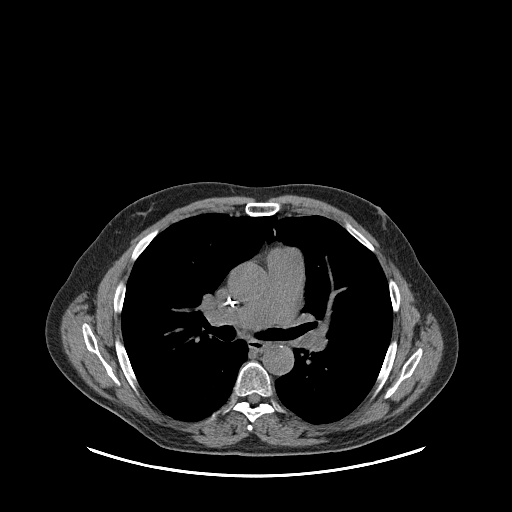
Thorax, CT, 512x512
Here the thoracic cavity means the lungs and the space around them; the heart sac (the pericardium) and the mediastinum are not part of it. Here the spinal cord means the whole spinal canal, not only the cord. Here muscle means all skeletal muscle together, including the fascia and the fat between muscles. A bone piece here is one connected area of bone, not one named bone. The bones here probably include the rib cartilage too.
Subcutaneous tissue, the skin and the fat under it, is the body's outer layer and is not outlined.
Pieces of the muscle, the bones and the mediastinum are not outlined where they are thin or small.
Outlines:
thoracic cavity: (213, 211) (323, 216) (375, 254) (391, 336) (373, 386) (347, 415) (314, 424) (276, 396) (274, 382) (294, 367) (306, 266) (298, 247) (275, 239) (211, 295) (213, 324) (231, 327) (231, 340) (247, 346) (227, 401) (185, 421) (140, 387) (121, 327) (133, 265) (160, 232) with a hole at (224, 329) (225, 329) (226, 329) (227, 329) (228, 329) (229, 329) (230, 329) (231, 330) (231, 331) (231, 332) (231, 333) (230, 334) (229, 335) (228, 335) (227, 335) (226, 335) (225, 335) (224, 334) (223, 333) (223, 332) (223, 331) (223, 330)
torso: (198, 181) (245, 186) (320, 184) (349, 191) (379, 206) (402, 231) (453, 313) (458, 333) (458, 356) (454, 371) (441, 391) (395, 433) (347, 450) (286, 456) (212, 455) (166, 449) (82, 393) (58, 369) (46, 346) (45, 321) (54, 296) (77, 259) (120, 210) (158, 190)
bones 1: (250, 361) (258, 362) (266, 370) (270, 377) (275, 396) (286, 411) (284, 413) (274, 411) (262, 414) (251, 424) (252, 430) (250, 431) (247, 428) (250, 422) (248, 418) (242, 412) (232, 409) (224, 414) (220, 413) (215, 419) (209, 422) (204, 422) (228, 401) (240, 368); inner edge: (253, 393) (256, 393) (257, 394) (258, 394) (260, 396) (260, 397) (261, 398) (260, 399) (260, 401) (258, 403) (257, 403) (256, 404) (251, 404) (247, 400) (247, 397) (250, 394) (252, 394)
bones 2: (393, 339) (396, 339) (397, 341) (397, 348) (395, 352) (395, 356) (393, 360) (393, 363) (392, 364) (391, 369) (381, 389) (371, 400) (370, 399) (371, 398) (372, 388) (374, 386) (374, 384) (376, 381) (378, 374) (381, 369) (389, 344) (391, 340)
bones 3: (117, 336) (119, 337) (120, 340) (123, 343) (123, 345) (125, 348) (125, 351) (127, 354) (130, 365) (139, 385) (139, 387) (138, 388) (139, 395) (137, 395) (134, 390) (131, 387) (120, 366) (120, 364) (117, 357) (116, 350) (115, 349) (115, 339)
bones 4: (83, 323) (86, 323) (89, 325) (96, 339) (98, 346) (98, 350) (105, 361) (111, 367) (113, 373) (116, 376) (120, 383) (119, 385) (117, 385) (108, 375) (105, 367) (97, 355) (95, 353) (88, 350) (85, 344) (83, 337) (83, 333) (82, 332) (82, 325)
bones 5: (418, 348) (421, 348) (422, 349) (422, 354) (412, 374) (410, 376) (405, 378) (399, 384) (396, 390) (388, 398) (384, 398) (384, 396) (387, 390) (397, 380) (397, 379) (399, 377) (400, 375) (400, 373) (401, 372) (401, 369) (404, 363) (407, 360) (407, 359)
bones 6: (252, 201) (269, 201) (270, 202) (278, 202) (281, 205) (281, 208) (280, 209) (280, 210) (278, 212) (277, 212) (272, 215) (263, 215) (262, 216) (251, 216) (250, 215) (248, 215) (247, 214) (246, 214) (244, 212) (244, 207) (247, 202) (251, 202)
bones 7: (155, 229) (158, 229) (159, 230) (159, 232) (151, 240) (151, 241) (146, 246) (146, 247) (143, 250) (143, 251) (138, 256) (138, 257) (134, 261) (134, 262) (131, 261) (131, 254) (132, 253) (132, 252) (133, 251) (136, 244) (144, 236) (145, 236) (148, 233) (151, 232)
bones 8: (120, 281) (123, 281) (125, 283) (125, 292) (124, 293) (124, 297) (123, 298) (123, 303) (122, 304) (122, 309) (121, 310) (121, 312) (120, 313) (115, 313) (114, 312) (114, 307) (113, 306) (113, 300) (114, 299) (114, 295) (115, 294) (115, 291) (116, 290) (116, 287)
bones 9: (345, 221) (348, 221) (358, 231) (359, 231) (371, 243) (371, 244) (374, 247) (374, 248) (375, 249) (375, 252) (373, 252) (372, 251) (371, 251) (367, 247) (366, 247) (363, 244) (362, 244) (355, 237) (354, 237) (343, 226) (343, 225) (344, 224) (344, 222)
bones 10: (391, 278) (396, 282) (397, 286) (398, 287) (398, 289) (399, 290) (399, 296) (400, 297) (400, 300) (399, 301) (399, 308) (397, 312) (393, 312) (393, 310) (392, 309) (392, 304) (391, 303) (391, 298) (390, 297) (390, 291) (389, 290) (389, 284) (388, 283) (388, 280)
mediastinum: (274, 240) (284, 244) (266, 248) (253, 258) (235, 267) (225, 284) (241, 324) (260, 330) (285, 324) (298, 315) (305, 280) (303, 314) (291, 330) (293, 367) (272, 383) (258, 361) (244, 363) (246, 341) (232, 340) (231, 326) (214, 324) (212, 295) (232, 268) (238, 264) (252, 258) (258, 252) (264, 242)
spinal cord: (253, 393) (256, 393) (257, 394) (258, 394) (260, 396) (260, 397) (261, 398) (260, 399) (260, 401) (258, 403) (257, 403) (256, 404) (251, 404) (247, 400) (247, 397) (250, 394) (252, 394)
muscle: (284, 194) (318, 199) (348, 213) (397, 262) (408, 282) (437, 320) (443, 339) (442, 357) (434, 377) (412, 403) (395, 416) (345, 431) (331, 440) (313, 445) (272, 445) (251, 434) (230, 445) (209, 447) (113, 402) (86, 383) (68, 359) (61, 341) (60, 323) (69, 304) (105, 273) (133, 238) (172, 210) (199, 199) (239, 195) (256, 200) (247, 201) (242, 213) (214, 209) (193, 214) (161, 231) (158, 228) (153, 229) (135, 244) (130, 254) (133, 264) (129, 275) (126, 282) (118, 282) (112, 300) (113, 312) (120, 314) (122, 336) (122, 341) (118, 335) (115, 337) (114, 349) (130, 387) (137, 396) (140, 395) (140, 388) (163, 414) (179, 421) (197, 422) (205, 419) (203, 422) (209, 423) (220, 414) (224, 415) (232, 410) (240, 412) (247, 418) (249, 422) (246, 428) (250, 432) (255, 420) (264, 414) (284, 414) (287, 409) (308, 423) (320, 425) (336, 422) (347, 416) (371, 390) (371, 401) (386, 382) (398, 348) (397, 339) (391, 339) (393, 314) (400, 308) (398, 284) (393, 278) (386, 277) (375, 247) (348, 220) (341, 225) (319, 214) (278, 213) (282, 205) (278, 201) (267, 200) with holes at (83, 323) (86, 323) (89, 325) (96, 339) (98, 346) (98, 350) (105, 361) (111, 367) (113, 373) (116, 376) (120, 383) (119, 385) (117, 385) (108, 375) (105, 367) (97, 355) (95, 353) (88, 350) (85, 344) (83, 337) (83, 333) (82, 332) (82, 325) and at (418, 348) (421, 348) (422, 349) (422, 354) (412, 374) (410, 376) (405, 378) (399, 384) (396, 390) (388, 398) (384, 398) (384, 396) (387, 390) (397, 380) (397, 379) (399, 377) (400, 375) (400, 373) (401, 372) (401, 369) (404, 363) (407, 360) (407, 359)
pericardium: (276, 245) (295, 247) (301, 252) (303, 257) (305, 279) (303, 284) (303, 300) (299, 311) (297, 315) (289, 321) (275, 326) (265, 327) (260, 329) (251, 329) (248, 327) (245, 327) (242, 324) (234, 300) (230, 295) (226, 286) (228, 278) (235, 268) (253, 259) (262, 251)